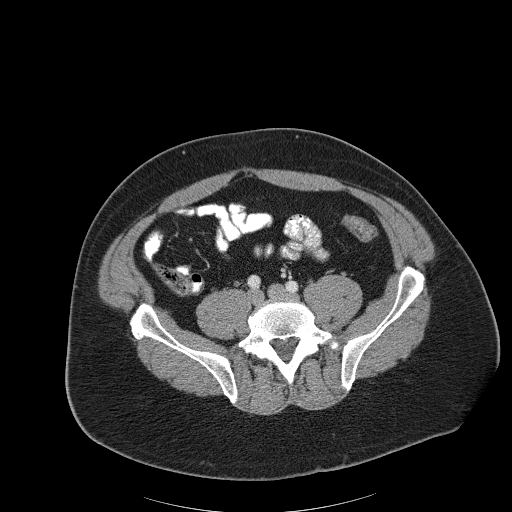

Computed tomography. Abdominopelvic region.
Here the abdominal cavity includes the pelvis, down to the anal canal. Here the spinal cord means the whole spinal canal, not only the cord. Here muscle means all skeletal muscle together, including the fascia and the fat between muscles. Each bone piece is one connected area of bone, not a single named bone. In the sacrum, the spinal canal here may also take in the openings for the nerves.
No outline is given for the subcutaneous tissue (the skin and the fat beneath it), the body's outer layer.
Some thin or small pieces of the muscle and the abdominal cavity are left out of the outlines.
Outlines:
abdominal cavity: 249 177; 291 191; 345 191; 369 205; 393 255; 394 271; 382 294; 354 318; 364 293; 343 274; 307 283; 304 302; 267 299; 250 313; 246 293; 224 287; 194 309; 205 336; 178 325; 156 304; 155 290; 135 265; 136 241; 162 214
bones 1: 290 299; 303 302; 314 314; 314 323; 319 328; 330 332; 339 344; 336 349; 332 349; 328 342; 320 344; 316 352; 306 356; 299 364; 291 385; 287 383; 270 361; 246 353; 236 345; 249 333; 247 319; 255 308; 267 300; 285 301 with a hole at 291 337; 295 337; 297 338; 298 339; 298 341; 293 349; 293 351; 291 354; 290 358; 288 361; 285 361; 282 359; 282 358; 278 354; 276 350; 273 347; 271 344; 271 341; 273 339; 280 339; 281 340; 286 341
bones 2: 141 302; 150 304; 153 307; 160 323; 182 344; 193 349; 218 353; 227 357; 230 361; 230 366; 237 388; 238 399; 235 405; 233 405; 223 394; 222 389; 216 379; 199 362; 160 341; 146 336; 138 340; 132 335; 128 322; 135 309
bones 3: 406 265; 412 266; 425 276; 423 289; 400 316; 388 325; 381 334; 364 351; 356 370; 356 378; 352 384; 351 389; 347 393; 345 389; 341 386; 342 348; 348 339; 358 335; 368 333; 374 329; 390 311; 396 297; 398 277; 404 266
spinal cord: 291 337; 295 337; 297 338; 298 339; 298 341; 293 349; 293 351; 291 354; 290 358; 288 361; 285 361; 282 359; 282 358; 278 354; 276 350; 273 347; 271 344; 271 341; 273 339; 280 339; 281 340; 286 341
muscle 1: 242 166; 316 173; 345 180; 379 192; 399 202; 409 210; 423 225; 435 246; 436 255; 432 261; 426 264; 426 284; 431 303; 428 321; 421 341; 401 363; 375 376; 356 380; 357 370; 365 351; 388 326; 401 316; 424 289; 426 276; 412 265; 404 265; 397 277; 395 297; 389 311; 374 328; 368 332; 348 338; 342 346; 340 386; 347 395; 330 407; 308 410; 289 404; 280 412; 269 415; 250 414; 240 410; 234 406; 239 399; 239 394; 231 361; 227 356; 218 352; 193 348; 179 341; 161 323; 150 303; 141 301; 127 321; 116 309; 102 302; 98 296; 97 278; 102 257; 116 236; 129 224; 159 199; 176 190; 203 178 with a hole at 249 177; 349 193; 375 211; 393 255; 382 294; 355 318; 364 301; 357 281; 326 273; 302 288; 314 323; 339 344; 320 344; 291 385; 236 345; 250 331; 243 290; 214 289; 196 305; 204 336; 156 304; 134 263; 136 241; 157 217
muscle 2: 128 323; 130 333; 136 340; 138 341; 145 337; 150 338; 164 344; 173 350; 184 354; 199 363; 215 379; 223 395; 200 396; 194 393; 186 393; 171 386; 165 380; 160 380; 156 377; 150 372; 139 358; 136 347; 128 335
torso: 266 127; 296 127; 338 137; 383 161; 413 184; 457 238; 479 273; 499 332; 498 365; 457 429; 349 467; 284 479; 245 481; 188 475; 127 458; 100 445; 84 433; 72 413; 66 393; 69 305; 84 236; 113 189; 155 154; 198 137